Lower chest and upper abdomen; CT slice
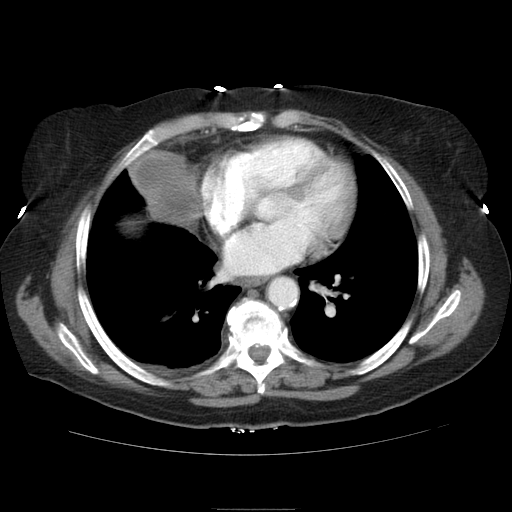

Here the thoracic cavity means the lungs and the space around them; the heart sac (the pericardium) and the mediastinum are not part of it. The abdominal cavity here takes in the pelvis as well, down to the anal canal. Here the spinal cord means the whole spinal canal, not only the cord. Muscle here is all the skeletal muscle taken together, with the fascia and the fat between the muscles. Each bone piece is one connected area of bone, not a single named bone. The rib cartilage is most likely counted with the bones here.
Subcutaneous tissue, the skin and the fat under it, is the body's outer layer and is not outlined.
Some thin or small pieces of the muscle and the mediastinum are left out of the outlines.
{"spinal_cord":[[[254,345],[257,345],[258,346],[267,346],[269,348],[269,353],[268,354],[268,355],[266,357],[266,358],[265,359],[265,360],[263,362],[262,362],[261,363],[258,363],[257,362],[256,362],[250,356],[250,355],[249,354],[249,349],[252,346],[253,346]]],"abdominal_cavity":[[[144,210],[146,212],[146,214],[150,218],[151,218],[151,219],[153,221],[150,222],[145,227],[142,234],[138,238],[126,238],[121,234],[120,234],[120,233],[117,229],[116,224],[124,216],[128,216],[129,215],[132,215],[133,214],[141,214],[144,212]]],"thoracic_cavity":[{"outer":[[151,149],[184,156],[199,164],[202,224],[188,231],[215,254],[217,260],[214,269],[223,276],[223,283],[240,288],[225,314],[228,343],[224,350],[200,369],[175,375],[154,373],[142,367],[114,343],[97,317],[86,280],[89,232],[100,199],[123,170]],"hole":[[144,210],[146,212],[146,214],[150,218],[151,218],[151,219],[153,221],[150,222],[145,227],[142,234],[138,238],[126,238],[121,234],[120,234],[120,233],[117,229],[116,224],[124,216],[128,216],[129,215],[132,215],[133,214],[141,214],[144,212]]},[[366,153],[370,154],[385,171],[408,212],[417,247],[416,290],[404,321],[381,347],[361,359],[345,362],[328,361],[307,354],[289,339],[288,327],[301,295],[299,276],[294,272],[298,268],[323,260],[334,252],[346,238],[358,202],[355,156],[362,156]]],"mediastinum":[[[299,125],[310,126],[317,130],[331,131],[355,144],[365,153],[355,155],[354,162],[352,156],[340,146],[331,143],[318,143],[295,134],[242,135],[203,155],[201,160],[197,162],[184,155],[152,149],[170,138],[204,128],[252,132],[264,126],[282,129]],[[203,221],[206,238],[217,254],[236,273],[263,276],[299,266],[305,266],[298,267],[296,268],[293,272],[298,276],[300,295],[289,326],[274,309],[260,299],[245,296],[231,305],[241,288],[238,285],[224,283],[224,276],[215,269],[218,260],[216,254],[189,231],[201,227]]],"torso":[[[298,84],[440,107],[459,117],[473,134],[489,172],[488,189],[478,203],[495,225],[511,268],[493,349],[458,379],[380,413],[253,431],[152,421],[30,375],[6,313],[0,246],[26,209],[20,162],[39,120],[70,106],[125,105],[184,87],[216,92]]],"muscle":[{"outer":[[286,108],[342,121],[385,148],[414,178],[446,239],[447,283],[458,279],[463,256],[483,283],[483,307],[469,334],[449,352],[367,381],[344,398],[264,396],[256,403],[231,407],[196,405],[179,395],[148,395],[96,383],[52,359],[18,315],[16,291],[31,274],[40,292],[50,294],[47,263],[56,253],[65,222],[81,197],[104,175],[116,153],[139,136],[111,172],[92,218],[88,205],[81,211],[74,241],[76,272],[85,274],[88,291],[88,295],[81,285],[77,287],[80,310],[100,347],[119,368],[143,383],[164,388],[172,383],[156,374],[175,376],[197,371],[193,376],[202,377],[220,370],[240,369],[254,378],[256,392],[262,395],[265,378],[288,360],[308,367],[324,366],[315,358],[337,363],[360,360],[346,371],[350,376],[360,376],[377,368],[397,350],[413,322],[407,316],[416,291],[424,293],[430,271],[427,237],[422,231],[416,237],[408,211],[414,209],[409,190],[396,169],[375,149],[369,147],[368,153],[331,130],[299,124],[304,123],[304,117],[295,109],[269,117],[264,111],[256,111]],"holes":[[[59,322],[62,322],[76,337],[80,344],[80,346],[82,350],[91,360],[92,363],[98,369],[98,373],[97,374],[94,374],[87,370],[80,363],[76,356],[66,346],[65,346],[60,340],[58,336],[58,334],[57,333],[57,324]],[[456,289],[459,290],[461,294],[460,295],[459,302],[455,309],[448,316],[446,316],[439,319],[424,335],[420,337],[414,343],[410,344],[409,343],[409,339],[416,332],[418,331],[421,331],[427,326],[437,310],[443,304],[443,303],[446,300],[452,291]]]},[[205,111],[220,111],[215,112],[209,116],[190,115],[189,116],[186,116],[174,123],[170,123],[169,124],[160,124],[154,127],[151,127],[160,121],[162,121],[166,119],[169,119],[170,118],[174,118],[182,114],[195,113],[196,112],[204,112]]],"bones":[{"outer":[[245,297],[260,300],[274,310],[287,326],[291,343],[323,366],[308,366],[288,359],[264,378],[265,389],[262,394],[257,392],[255,378],[240,368],[220,369],[207,375],[194,376],[211,364],[227,347],[229,330],[225,321],[226,314],[231,306]],"hole":[[254,345],[257,345],[258,346],[267,346],[269,348],[269,353],[268,354],[268,355],[266,357],[266,358],[265,359],[265,360],[263,362],[262,362],[261,363],[258,363],[257,362],[256,362],[250,356],[250,355],[249,354],[249,349],[252,346],[253,346]]},[[285,110],[295,110],[303,117],[303,123],[297,125],[280,128],[272,126],[268,121],[262,127],[252,131],[204,127],[170,137],[136,158],[104,190],[120,161],[150,128],[174,124],[190,116],[209,117],[218,112],[240,115],[243,112],[261,111],[269,118]],[[79,286],[81,286],[87,294],[99,323],[113,343],[126,356],[136,364],[142,368],[155,374],[157,376],[168,380],[171,383],[171,386],[164,387],[157,385],[151,385],[145,382],[143,382],[124,371],[109,357],[93,335],[84,318],[77,296],[77,290]],[[407,318],[411,318],[412,319],[412,322],[406,336],[400,345],[396,349],[396,350],[385,361],[384,361],[377,367],[360,375],[350,375],[347,373],[347,371],[349,369],[355,367],[362,359],[369,356],[381,348],[397,332],[397,331],[401,327]],[[87,206],[89,207],[91,212],[91,221],[90,222],[90,227],[89,228],[88,237],[87,238],[86,258],[85,259],[85,273],[83,271],[81,271],[78,273],[76,268],[76,246],[75,245],[76,232],[77,231],[77,225],[78,224],[79,217],[84,208]],[[59,322],[62,322],[76,337],[80,344],[80,346],[82,350],[91,360],[92,363],[98,369],[98,373],[97,374],[94,374],[87,370],[80,363],[76,356],[66,346],[65,346],[60,340],[58,336],[58,334],[57,333],[57,324]],[[456,289],[459,290],[461,294],[460,295],[459,302],[455,309],[448,316],[446,316],[439,319],[424,335],[420,337],[414,343],[410,344],[409,343],[409,339],[416,332],[418,331],[421,331],[427,326],[437,310],[443,304],[443,303],[446,300],[452,291]],[[421,232],[422,232],[426,237],[426,240],[427,241],[427,243],[428,244],[428,248],[429,249],[429,271],[428,272],[428,275],[427,276],[427,282],[422,294],[420,294],[417,290],[417,282],[418,281],[418,247],[417,246],[417,238],[419,234]],[[369,148],[375,150],[382,156],[383,156],[395,169],[405,184],[408,190],[408,192],[410,195],[410,197],[413,204],[413,209],[411,210],[408,210],[407,209],[406,205],[400,193],[395,186],[394,183],[386,171],[383,168],[381,164],[370,153]]],"pericardium":[[[262,135],[295,135],[318,144],[331,144],[344,149],[354,163],[357,202],[345,238],[326,257],[314,263],[299,265],[271,274],[252,275],[236,272],[218,254],[207,238],[203,220],[203,202],[199,183],[200,164],[198,162],[202,160],[203,156],[239,137]]]}